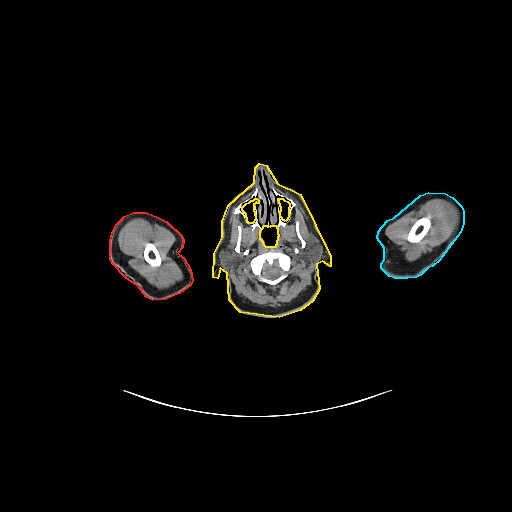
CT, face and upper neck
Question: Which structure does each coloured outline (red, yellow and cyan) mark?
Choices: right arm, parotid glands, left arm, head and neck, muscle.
Answer: red: right arm; yellow: head and neck; cyan: left arm.
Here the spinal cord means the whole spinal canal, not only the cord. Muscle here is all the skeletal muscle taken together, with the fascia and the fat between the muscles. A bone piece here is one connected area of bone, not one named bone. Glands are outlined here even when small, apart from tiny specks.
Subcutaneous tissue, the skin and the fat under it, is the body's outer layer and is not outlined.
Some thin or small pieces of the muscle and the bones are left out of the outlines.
right arm: (133, 212) (146, 212) (158, 217) (166, 221) (181, 235) (183, 240) (182, 247) (177, 253) (183, 257) (190, 269) (192, 280) (190, 285) (179, 293) (165, 299) (152, 300) (146, 297) (138, 286) (125, 277) (112, 263) (110, 259) (110, 240) (112, 232) (117, 223) (124, 216)
head and neck: (259, 163) (266, 165) (277, 183) (300, 194) (330, 256) (330, 266) (322, 261) (316, 264) (319, 289) (312, 301) (300, 310) (279, 317) (240, 312) (229, 300) (227, 273) (220, 268) (217, 278) (213, 277) (214, 253) (222, 237) (222, 221) (228, 205) (254, 182) (255, 167); inner edges: (264, 225) (266, 225) (267, 226) (268, 226) (269, 225) (270, 226) (271, 225) (275, 225) (277, 228) (277, 233) (278, 234) (278, 236) (277, 237) (277, 240) (276, 241) (276, 244) (274, 247) (266, 247) (264, 245) (263, 242) (260, 239) (260, 230) (263, 227) (263, 226), then (255, 198) (256, 198) (258, 200) (258, 203) (257, 203) (256, 202) (253, 204) (253, 210) (254, 211) (254, 214) (255, 215) (255, 219) (252, 223) (249, 223) (247, 221) (247, 218) (246, 217) (246, 214) (242, 210) (242, 207) (246, 203) (249, 202) (251, 200) (253, 200), then (278, 198) (282, 198) (284, 200) (287, 201) (289, 203) (289, 207) (288, 208) (288, 217) (287, 218) (287, 219) (285, 221) (284, 220) (283, 220) (282, 219) (282, 218) (280, 216) (280, 211) (281, 210) (281, 207) (280, 206) (280, 204) (279, 203) (279, 201) (278, 200)
left arm: (428, 192) (445, 193) (452, 197) (461, 206) (463, 211) (463, 223) (460, 232) (439, 260) (432, 266) (427, 268) (420, 275) (416, 277) (407, 278) (394, 278) (389, 276) (381, 268) (381, 263) (384, 259) (384, 248) (377, 238) (378, 231) (387, 220) (394, 217) (420, 195)
bones 1: (261, 170) (267, 171) (269, 181) (278, 192) (292, 198) (296, 203) (291, 218) (283, 227) (278, 228) (275, 224) (264, 224) (260, 229) (255, 228) (252, 230) (240, 214) (232, 213) (239, 203) (252, 195) (251, 192) (255, 187) (258, 174) (258, 178) (260, 178) (259, 172), around holes outlined by (255, 198) (256, 198) (258, 200) (258, 203) (257, 203) (256, 202) (253, 204) (253, 210) (254, 211) (254, 214) (255, 215) (255, 219) (252, 223) (249, 223) (247, 221) (247, 218) (246, 217) (246, 214) (242, 210) (242, 207) (246, 203) (249, 202) (251, 200) (253, 200) and by (278, 198) (282, 198) (284, 200) (287, 201) (289, 203) (289, 207) (288, 208) (288, 217) (287, 218) (287, 219) (285, 221) (284, 220) (283, 220) (282, 219) (282, 218) (280, 216) (280, 211) (281, 210) (281, 207) (280, 206) (280, 204) (279, 203) (279, 201) (278, 200)
bones 2: (271, 249) (274, 251) (280, 251) (281, 252) (283, 252) (287, 254) (291, 258) (291, 265) (289, 269) (290, 273) (285, 278) (274, 285) (268, 284) (267, 283) (265, 283) (264, 282) (260, 281) (252, 272) (249, 266) (249, 263) (252, 258) (255, 257) (259, 254) (264, 253); inner edge: (274, 260) (276, 260) (277, 261) (277, 262) (278, 263) (278, 266) (282, 270) (282, 273) (280, 275) (279, 275) (276, 278) (269, 278) (262, 274) (262, 269) (264, 266) (264, 263) (265, 262) (266, 262) (267, 263) (267, 264) (269, 266) (271, 266) (273, 264) (273, 261)
bones 3: (420, 218) (426, 218) (429, 221) (430, 221) (430, 227) (429, 228) (429, 229) (427, 231) (426, 234) (420, 240) (420, 241) (419, 241) (418, 242) (410, 242) (407, 240) (407, 238) (408, 237) (408, 233) (409, 232) (411, 227) (413, 225) (413, 224) (418, 219) (419, 219)
bones 4: (147, 242) (151, 242) (152, 243) (153, 243) (155, 245) (155, 246) (156, 247) (156, 248) (157, 249) (157, 250) (159, 253) (159, 255) (161, 258) (161, 263) (158, 266) (157, 266) (156, 267) (152, 267) (145, 260) (145, 259) (144, 258) (144, 248) (145, 247) (145, 244)
bones 5: (296, 219) (297, 219) (299, 221) (299, 230) (300, 231) (300, 234) (301, 235) (302, 238) (304, 240) (304, 241) (305, 242) (305, 246) (304, 247) (302, 247) (301, 246) (301, 242) (300, 241) (300, 240) (299, 239) (299, 238) (296, 233) (296, 230) (295, 229) (295, 220)
bones 6: (238, 225) (240, 225) (241, 226) (241, 240) (240, 241) (240, 247) (239, 248) (240, 249) (239, 250) (239, 251) (238, 252) (237, 252) (235, 250) (235, 247) (236, 246) (236, 243) (237, 242) (237, 236) (238, 235) (238, 231) (237, 230) (237, 226)
parotid glands 1: (318, 243) (320, 243) (322, 245) (322, 252) (321, 253) (321, 255) (319, 257) (319, 258) (316, 261) (312, 261) (309, 258) (309, 257) (306, 254) (306, 252) (307, 251) (307, 250) (308, 249) (309, 249) (310, 248) (311, 248) (314, 245) (315, 245) (316, 244) (317, 244)
parotid glands 2: (225, 247) (227, 247) (229, 249) (229, 250) (231, 252) (231, 255) (232, 256) (232, 259) (231, 260) (231, 261) (230, 262) (230, 263) (228, 266) (227, 265) (224, 265) (221, 262) (221, 260) (220, 259) (220, 256) (219, 255) (219, 252) (222, 249) (223, 249)
muscle 1: (276, 188) (283, 192) (287, 192) (299, 203) (305, 214) (308, 216) (311, 227) (319, 242) (308, 248) (305, 252) (308, 258) (313, 262) (311, 284) (293, 300) (281, 306) (271, 307) (253, 303) (236, 292) (229, 268) (233, 256) (227, 245) (230, 239) (230, 216) (231, 214) (238, 214) (250, 226) (252, 231) (255, 229) (259, 230) (259, 239) (266, 248) (274, 248) (276, 246) (279, 236) (278, 229) (287, 225) (297, 206) (297, 203) (292, 197) (278, 191), around holes outlined by (271, 249) (274, 251) (280, 251) (281, 252) (283, 252) (287, 254) (291, 258) (291, 265) (289, 269) (290, 273) (285, 278) (274, 285) (268, 284) (267, 283) (265, 283) (264, 282) (260, 281) (252, 272) (249, 266) (249, 263) (252, 258) (255, 257) (259, 254) (264, 253) and by (296, 219) (297, 219) (299, 221) (299, 230) (300, 231) (300, 234) (301, 235) (302, 238) (304, 240) (304, 241) (305, 242) (305, 246) (304, 247) (302, 247) (301, 246) (301, 242) (300, 241) (300, 240) (299, 239) (299, 238) (296, 233) (296, 230) (295, 229) (295, 220) and by (238, 225) (240, 225) (241, 226) (241, 240) (240, 241) (240, 247) (239, 248) (240, 249) (239, 250) (239, 251) (238, 252) (237, 252) (235, 250) (235, 247) (236, 246) (236, 243) (237, 242) (237, 236) (238, 235) (238, 231) (237, 230) (237, 226)
muscle 2: (133, 218) (143, 218) (151, 223) (156, 223) (169, 230) (175, 236) (176, 239) (170, 249) (169, 255) (182, 270) (184, 275) (182, 280) (177, 282) (169, 288) (159, 290) (150, 285) (144, 278) (128, 265) (127, 263) (127, 257) (119, 248) (118, 234) (120, 229) (124, 224) with a hole at (147, 242) (151, 242) (152, 243) (153, 243) (155, 245) (155, 246) (156, 247) (156, 248) (157, 249) (157, 250) (159, 253) (159, 255) (161, 258) (161, 263) (158, 266) (157, 266) (156, 267) (152, 267) (145, 260) (145, 259) (144, 258) (144, 248) (145, 247) (145, 244)
muscle 3: (432, 198) (442, 198) (453, 205) (457, 212) (457, 223) (455, 229) (446, 240) (441, 244) (434, 247) (430, 252) (423, 254) (414, 261) (411, 262) (407, 261) (404, 258) (403, 254) (398, 250) (398, 248) (386, 236) (385, 230) (388, 225) (406, 213) (418, 207) (427, 200); inner edge: (420, 218) (426, 218) (429, 221) (430, 221) (430, 227) (429, 228) (429, 229) (427, 231) (426, 234) (420, 240) (420, 241) (419, 241) (418, 242) (410, 242) (407, 240) (407, 238) (408, 237) (408, 233) (409, 232) (411, 227) (413, 225) (413, 224) (418, 219) (419, 219)
muscle 4: (249, 193) (250, 193) (251, 194) (251, 195) (250, 196) (249, 196) (247, 198) (246, 198) (243, 201) (242, 201) (241, 202) (239, 202) (238, 203) (238, 202) (239, 202) (240, 201) (240, 199) (244, 195) (247, 195)
spinal cord: (274, 260) (276, 260) (277, 261) (277, 262) (278, 263) (278, 266) (282, 270) (282, 273) (280, 275) (279, 275) (276, 278) (269, 278) (262, 274) (262, 269) (264, 266) (264, 263) (265, 262) (266, 262) (267, 263) (267, 264) (269, 266) (271, 266) (273, 264) (273, 261)